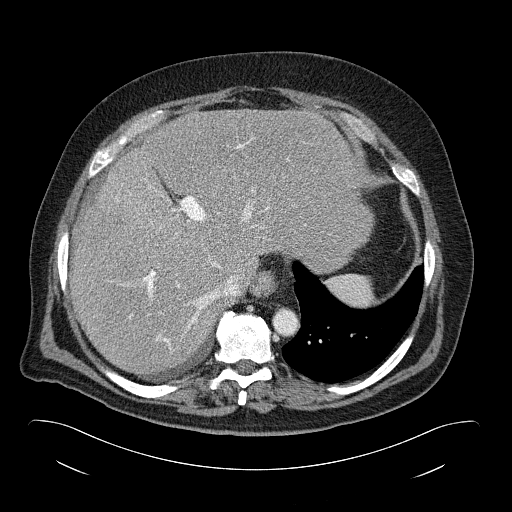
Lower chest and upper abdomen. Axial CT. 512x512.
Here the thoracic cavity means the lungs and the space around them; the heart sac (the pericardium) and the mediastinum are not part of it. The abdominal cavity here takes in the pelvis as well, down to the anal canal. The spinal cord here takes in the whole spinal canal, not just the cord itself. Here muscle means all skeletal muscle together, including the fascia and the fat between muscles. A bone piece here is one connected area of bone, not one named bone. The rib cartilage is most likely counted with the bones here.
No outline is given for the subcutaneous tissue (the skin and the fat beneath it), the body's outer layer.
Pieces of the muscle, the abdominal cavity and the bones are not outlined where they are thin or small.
{"bones":[{"outer":[[225,310],[260,316],[271,331],[271,349],[275,361],[266,364],[271,369],[272,377],[249,384],[245,388],[244,405],[237,402],[241,387],[235,380],[225,379],[216,389],[208,385],[209,379],[225,365],[215,361],[213,355],[219,348],[215,337],[216,326]],"hole":[[242,359],[245,359],[246,360],[250,360],[254,363],[255,363],[255,364],[256,365],[256,368],[255,369],[255,370],[254,370],[251,373],[250,373],[249,374],[241,374],[240,373],[239,373],[235,368],[235,365],[238,361],[239,361]]},[[158,109],[161,109],[165,112],[164,113],[165,117],[163,119],[151,127],[138,133],[117,152],[115,157],[111,162],[99,172],[94,174],[90,178],[88,178],[89,166],[94,153],[97,150],[104,148],[110,142],[116,139],[133,121],[145,114],[153,112]],[[412,332],[414,334],[414,337],[409,348],[400,361],[381,379],[367,387],[365,387],[358,391],[346,395],[340,395],[327,390],[327,387],[330,386],[332,384],[337,384],[338,385],[352,384],[358,381],[361,381],[367,377],[395,350],[404,338]],[[99,365],[103,366],[105,368],[108,368],[111,370],[113,370],[126,380],[133,381],[139,384],[162,385],[169,383],[174,385],[178,385],[179,387],[174,391],[172,391],[167,394],[158,397],[143,397],[131,393],[113,382],[100,370],[98,366]],[[66,228],[67,228],[69,233],[69,238],[68,239],[69,243],[68,244],[68,253],[67,254],[67,280],[66,281],[66,293],[65,294],[63,293],[60,285],[60,280],[59,279],[59,274],[58,273],[58,266],[57,265],[57,247],[61,234]],[[339,111],[345,111],[346,112],[348,112],[352,115],[359,118],[375,134],[375,136],[376,137],[376,143],[375,144],[370,144],[368,142],[364,141],[356,135],[356,134],[354,133],[351,129],[350,129],[348,125],[338,116],[338,112]],[[390,162],[396,162],[397,163],[399,163],[400,164],[409,168],[413,171],[413,172],[415,174],[415,176],[417,179],[417,181],[418,182],[418,185],[419,186],[419,196],[416,196],[411,191],[411,190],[410,189],[408,189],[393,174],[393,173],[390,169]],[[427,239],[429,239],[430,240],[434,249],[434,253],[435,254],[435,265],[434,266],[434,269],[433,270],[433,273],[432,274],[430,282],[428,286],[426,288],[424,288],[424,267],[423,266],[422,260],[423,259],[423,253],[424,252],[424,243]]],"torso":[[[268,50],[321,53],[366,67],[406,91],[434,123],[451,164],[474,251],[459,339],[439,380],[415,400],[369,419],[309,433],[246,437],[155,424],[59,383],[23,376],[19,359],[30,318],[32,229],[62,150],[78,123],[110,92],[156,68],[208,55]]],"abdominal_cavity":[[[239,91],[277,92],[342,120],[365,142],[369,166],[407,189],[422,259],[392,297],[356,309],[298,261],[287,266],[267,254],[245,295],[222,311],[209,337],[182,363],[156,374],[121,370],[86,337],[68,295],[69,239],[83,191],[138,134],[172,114]]],"spinal_cord":[[[242,359],[245,359],[246,360],[250,360],[254,363],[255,363],[255,364],[256,365],[256,368],[255,369],[255,370],[254,370],[251,373],[250,373],[249,374],[241,374],[240,373],[239,373],[235,368],[235,365],[238,361],[239,361]]],"thoracic_cavity":[[[295,262],[301,264],[317,278],[339,302],[356,310],[375,308],[392,298],[414,268],[422,263],[423,288],[413,320],[394,350],[361,380],[342,383],[316,381],[285,362],[281,348],[296,336],[301,328],[302,320],[299,301],[294,290],[295,278],[292,265]],[[78,325],[92,346],[105,359],[109,361],[117,369],[135,375],[156,375],[171,370],[182,364],[192,354],[197,351],[210,337],[214,327],[214,337],[216,342],[213,353],[205,361],[191,371],[167,383],[146,384],[126,379],[99,358],[88,345],[80,332]]],"mediastinum":[[[267,255],[276,255],[287,267],[291,267],[294,278],[293,290],[301,315],[299,330],[290,341],[280,348],[280,353],[284,361],[279,359],[273,351],[272,331],[260,315],[247,311],[237,312],[230,309],[230,307],[246,295],[250,284],[258,273],[261,260]],[[364,143],[368,143],[370,146],[378,151],[378,152],[382,155],[382,156],[386,161],[389,167],[389,169],[392,174],[388,174],[384,171],[376,170],[374,168],[370,166],[369,164],[369,161],[368,160],[368,155],[367,154],[367,151],[364,147]],[[408,190],[410,190],[417,198],[419,204],[421,206],[421,212],[422,213],[423,225],[424,226],[424,241],[423,242],[423,252],[422,254],[421,254],[421,251],[422,250],[422,239],[420,234],[420,228],[416,219],[416,217],[413,213],[413,211],[409,204]]],"muscle":[{"outer":[[235,85],[249,85],[256,87],[267,87],[268,86],[285,87],[330,97],[336,100],[339,100],[342,102],[350,104],[358,108],[370,117],[395,143],[415,167],[420,176],[424,187],[427,191],[434,212],[434,216],[440,233],[440,238],[442,241],[443,260],[445,267],[445,290],[443,296],[443,313],[442,314],[444,323],[443,338],[437,356],[427,367],[414,375],[393,384],[368,398],[339,407],[322,408],[316,410],[299,410],[298,409],[296,410],[288,410],[287,409],[282,409],[270,413],[260,413],[254,409],[251,409],[244,406],[240,406],[233,412],[225,415],[221,416],[203,416],[196,414],[182,413],[176,410],[156,405],[152,403],[142,403],[139,401],[124,397],[101,385],[79,371],[55,360],[46,358],[42,355],[39,349],[39,338],[45,313],[46,297],[48,291],[48,281],[47,280],[48,266],[49,265],[48,261],[52,240],[55,234],[58,221],[65,207],[66,201],[71,192],[71,190],[95,148],[109,133],[113,131],[122,122],[134,114],[150,106],[153,106],[166,101],[184,98],[188,96],[213,92]],"hole":[[239,91],[277,92],[299,106],[337,118],[339,111],[348,112],[375,134],[376,143],[369,145],[389,167],[390,162],[399,163],[417,179],[424,240],[433,246],[435,265],[405,333],[412,332],[414,337],[386,375],[353,393],[328,391],[331,383],[300,373],[276,355],[274,362],[266,363],[271,379],[249,384],[245,404],[239,405],[241,387],[235,380],[225,379],[216,389],[209,387],[209,379],[225,365],[212,354],[178,377],[183,379],[180,382],[170,381],[179,386],[176,390],[158,397],[136,395],[100,370],[99,365],[111,368],[88,345],[68,291],[65,294],[61,289],[57,247],[62,232],[72,231],[78,204],[91,179],[88,172],[94,153],[145,114],[161,109],[167,117]]}]}